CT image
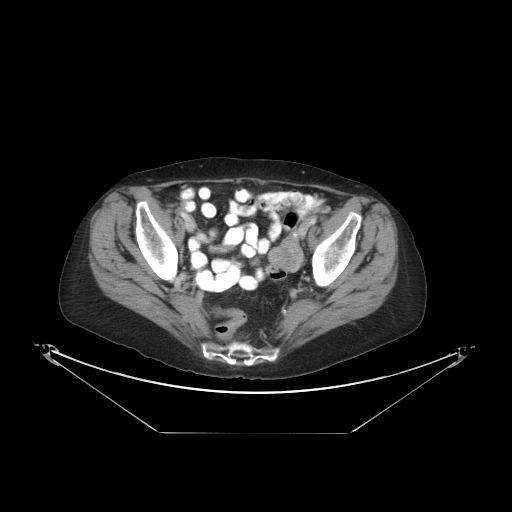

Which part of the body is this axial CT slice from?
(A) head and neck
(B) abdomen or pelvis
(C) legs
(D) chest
Answer: (B) abdomen or pelvis
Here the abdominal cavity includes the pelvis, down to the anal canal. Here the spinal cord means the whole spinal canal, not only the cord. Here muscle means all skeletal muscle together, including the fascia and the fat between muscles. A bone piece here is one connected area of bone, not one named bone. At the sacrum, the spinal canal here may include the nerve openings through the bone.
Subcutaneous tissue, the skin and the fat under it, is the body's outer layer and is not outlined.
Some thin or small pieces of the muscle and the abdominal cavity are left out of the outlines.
{"abdominal_cavity":[[[244,181],[319,189],[343,198],[344,202],[319,225],[309,229],[307,245],[311,253],[312,278],[305,293],[282,314],[268,337],[260,343],[233,340],[220,344],[214,339],[203,308],[182,285],[178,275],[184,223],[161,205],[154,192],[182,183],[239,184]]],"muscle":[[[240,176],[320,184],[383,203],[398,238],[397,278],[383,304],[277,362],[253,365],[278,357],[279,347],[252,343],[269,337],[311,280],[326,287],[346,268],[362,215],[349,211],[312,253],[310,229],[345,199],[319,188],[250,180],[239,183],[182,182],[165,186],[153,192],[183,223],[181,257],[148,202],[134,208],[135,240],[151,270],[177,289],[181,284],[203,310],[216,342],[200,345],[209,360],[105,296],[89,266],[89,225],[111,192],[175,179]]],"bones":[[[143,200],[147,202],[149,209],[153,217],[169,236],[177,249],[178,253],[177,275],[179,277],[179,281],[180,282],[180,284],[177,288],[171,282],[161,279],[152,270],[144,258],[138,246],[135,235],[135,225],[136,224],[135,208],[136,204],[139,201]],[[351,211],[356,212],[361,215],[361,224],[355,238],[355,250],[345,268],[332,282],[326,286],[323,286],[322,287],[318,286],[316,285],[312,275],[311,259],[312,258],[313,251],[315,247],[320,242],[334,232],[342,224],[345,220],[348,213]],[[233,341],[246,342],[258,348],[277,347],[279,348],[279,352],[277,357],[273,361],[260,358],[257,359],[252,365],[248,366],[241,363],[228,364],[220,356],[215,356],[210,360],[205,358],[203,355],[201,346],[203,342],[213,342],[220,345],[225,345]]],"torso":[[[208,156],[291,160],[329,170],[378,190],[405,218],[423,262],[427,301],[420,325],[410,334],[393,342],[308,375],[289,379],[250,380],[242,377],[231,379],[208,377],[177,370],[70,323],[59,308],[58,283],[73,233],[86,210],[114,182],[127,174]]],"spinal_cord":[[[235,357],[236,357],[237,357],[238,357],[239,357],[240,358],[241,358],[242,358],[243,358],[244,358],[243,359],[242,359],[241,360],[240,360],[239,360],[238,360],[237,359],[236,358]]]}